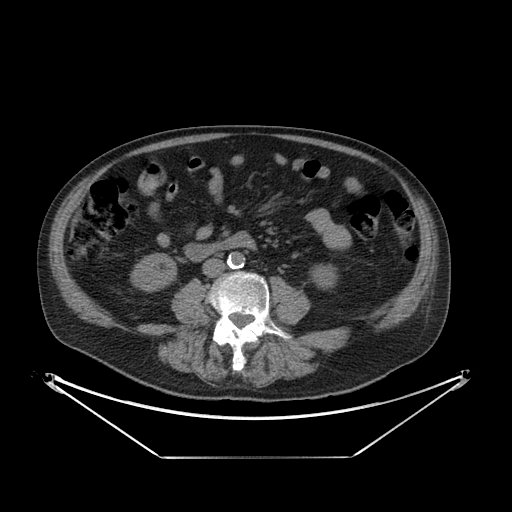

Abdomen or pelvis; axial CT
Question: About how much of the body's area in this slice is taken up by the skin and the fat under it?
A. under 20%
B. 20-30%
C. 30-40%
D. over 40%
Answer: B. 20-30%
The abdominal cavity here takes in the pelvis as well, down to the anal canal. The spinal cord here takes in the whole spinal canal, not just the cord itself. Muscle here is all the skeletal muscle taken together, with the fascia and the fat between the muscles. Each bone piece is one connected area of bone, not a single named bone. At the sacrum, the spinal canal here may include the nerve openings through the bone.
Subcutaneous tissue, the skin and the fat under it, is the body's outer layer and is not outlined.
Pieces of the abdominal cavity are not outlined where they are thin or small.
The bones are outlined by [[237,271],[264,277],[269,289],[269,316],[278,327],[291,335],[291,338],[284,339],[265,333],[258,338],[258,342],[246,342],[242,346],[246,362],[241,370],[232,368],[231,346],[228,343],[219,345],[212,338],[215,322],[220,315],[208,297],[216,279]] with a hole at [[234,313],[239,313],[240,314],[241,314],[242,315],[251,315],[253,317],[253,319],[249,323],[248,323],[247,324],[246,324],[244,326],[243,326],[242,327],[238,327],[229,318],[229,316],[231,314],[233,314]]. The torso is outlined by [[216,124],[296,126],[347,135],[389,153],[421,181],[442,214],[451,256],[446,321],[438,339],[423,356],[369,385],[343,394],[279,402],[206,400],[175,396],[145,386],[53,336],[40,304],[36,249],[43,217],[59,189],[92,159],[124,142],[167,129]]. The abdominal cavity is outlined by [[242,135],[319,146],[391,174],[419,230],[408,282],[363,317],[329,329],[294,329],[311,307],[303,290],[278,275],[268,284],[244,270],[223,273],[210,288],[190,279],[170,301],[178,324],[118,320],[80,287],[64,254],[66,228],[90,184],[132,156]]. The spinal cord is outlined by [[234,313],[239,313],[240,314],[241,314],[242,315],[251,315],[253,317],[253,319],[249,323],[248,323],[247,324],[246,324],[244,326],[243,326],[242,327],[238,327],[229,318],[229,316],[231,314],[233,314]]. The muscle is outlined by [[249,132],[289,134],[317,138],[359,150],[377,158],[385,163],[390,168],[393,169],[407,183],[412,190],[421,196],[429,209],[434,221],[438,238],[437,269],[435,273],[435,279],[433,283],[431,284],[431,288],[429,289],[429,292],[426,295],[425,299],[424,298],[422,300],[416,311],[411,316],[395,327],[381,331],[378,333],[369,331],[358,335],[357,336],[358,337],[356,339],[353,339],[345,346],[326,355],[323,358],[322,365],[313,373],[310,373],[302,377],[298,377],[294,379],[281,378],[264,387],[255,387],[249,383],[243,382],[239,377],[236,379],[232,379],[228,382],[224,382],[218,386],[212,386],[201,380],[193,373],[181,372],[161,363],[156,357],[156,350],[151,345],[152,338],[150,336],[137,333],[135,334],[131,332],[124,331],[118,327],[108,328],[100,326],[93,323],[86,322],[78,317],[66,305],[60,294],[60,291],[52,274],[49,264],[49,256],[48,255],[49,234],[54,216],[59,206],[73,187],[82,179],[88,175],[92,174],[112,160],[142,146],[176,137],[206,133],[248,133]] with a hole at [[242,135],[383,168],[409,198],[420,245],[395,295],[334,328],[294,329],[311,302],[270,276],[269,316],[291,338],[246,342],[234,370],[231,346],[212,338],[220,315],[208,284],[193,277],[173,294],[178,324],[128,325],[76,282],[64,236],[114,165]].